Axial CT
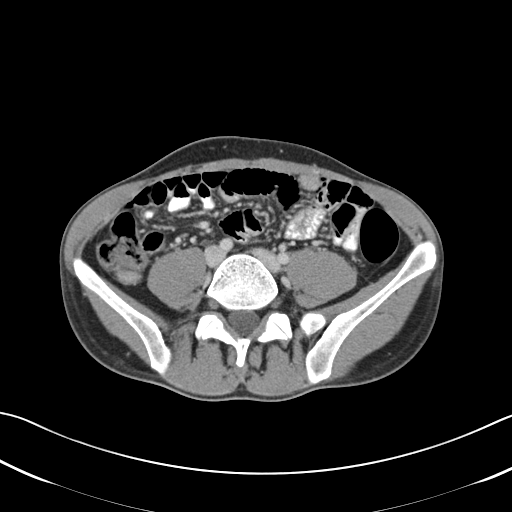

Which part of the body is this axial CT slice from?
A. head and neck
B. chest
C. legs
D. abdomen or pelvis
Answer: D. abdomen or pelvis
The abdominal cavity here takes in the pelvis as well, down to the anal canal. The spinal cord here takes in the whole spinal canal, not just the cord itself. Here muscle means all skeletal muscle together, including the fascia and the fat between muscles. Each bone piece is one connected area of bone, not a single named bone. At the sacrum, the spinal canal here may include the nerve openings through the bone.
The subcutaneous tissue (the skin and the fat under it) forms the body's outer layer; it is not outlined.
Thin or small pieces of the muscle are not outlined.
bones 1: [[235,253],[253,255],[269,270],[278,294],[268,306],[283,312],[292,330],[288,340],[259,342],[254,339],[247,349],[246,368],[237,366],[236,350],[231,344],[214,338],[195,337],[199,317],[203,312],[218,308],[216,298],[204,295],[208,281],[222,260]]; inner edge: [[239,310],[255,311],[258,314],[258,315],[260,317],[260,322],[259,323],[259,332],[257,334],[255,335],[252,335],[251,336],[250,335],[249,336],[239,336],[238,335],[236,336],[230,331],[230,325],[227,321],[227,316],[229,312],[231,311],[238,311]]
bones 2: [[425,240],[432,241],[436,246],[437,260],[434,267],[403,284],[359,322],[340,345],[332,363],[330,376],[311,385],[307,379],[305,358],[323,329],[307,336],[299,326],[305,312],[318,312],[328,323],[339,313],[357,306],[381,289],[399,271],[412,249]]
bones 3: [[77,256],[81,257],[87,262],[107,285],[122,299],[135,309],[152,319],[157,324],[161,331],[164,342],[171,352],[171,360],[167,370],[163,375],[159,374],[150,367],[150,361],[146,348],[134,329],[116,311],[80,282],[74,273],[72,265],[73,258]]
spinal cord: [[239,310],[255,311],[258,314],[258,315],[260,317],[260,322],[259,323],[259,332],[257,334],[255,335],[252,335],[251,336],[250,335],[249,336],[239,336],[238,335],[236,336],[230,331],[230,325],[227,321],[227,316],[229,312],[231,311],[238,311]]
muscle 1: [[261,157],[315,164],[355,180],[387,188],[401,195],[424,215],[435,233],[439,250],[439,257],[436,268],[400,331],[385,345],[359,361],[347,375],[323,381],[331,376],[335,357],[355,327],[399,288],[435,267],[436,263],[438,260],[437,246],[436,244],[430,239],[425,239],[412,248],[408,237],[394,217],[366,189],[350,181],[321,173],[292,172],[259,164],[246,164],[226,168],[192,169],[151,181],[134,192],[95,234],[87,245],[87,261],[79,255],[73,257],[71,261],[73,273],[79,282],[116,312],[137,334],[148,357],[149,367],[147,366],[123,342],[105,329],[89,301],[82,294],[78,281],[67,270],[64,262],[64,247],[71,225],[92,201],[123,184],[154,177],[189,164],[227,158],[253,159]]
muscle 2: [[104,279],[166,316],[169,323],[202,312],[194,337],[231,345],[241,369],[247,368],[247,353],[254,340],[288,341],[292,326],[307,337],[322,329],[304,358],[310,385],[271,396],[243,387],[203,395],[169,383],[154,373],[163,376],[172,360],[158,324]]
muscle 3: [[303,248],[309,248],[312,250],[326,249],[343,256],[355,268],[357,272],[356,281],[353,287],[332,299],[307,309],[304,306],[295,301],[293,296],[294,291],[286,275],[285,268],[290,261],[290,254],[296,250],[299,250]]
muscle 4: [[189,247],[197,247],[199,248],[203,255],[203,260],[205,264],[205,281],[203,285],[204,293],[198,304],[192,310],[178,310],[175,311],[159,299],[149,289],[147,285],[147,278],[153,264],[158,258],[160,258],[162,256],[164,256],[176,249],[185,249]]
muscle 5: [[407,255],[404,262],[398,271],[381,288],[357,305],[347,310],[339,312],[328,322],[327,322],[326,317],[322,313],[316,311],[317,309],[344,300],[353,295],[364,286],[366,286],[371,282],[375,282],[386,273],[394,269]]
torso: [[218,135],[278,139],[317,149],[399,189],[429,215],[444,248],[442,293],[432,331],[408,363],[373,382],[318,389],[284,401],[202,401],[117,374],[102,366],[84,350],[68,323],[60,289],[58,253],[68,220],[80,205],[107,186],[145,168],[178,147]]
abdominal cavity: [[246,165],[363,188],[411,249],[350,296],[305,311],[294,329],[269,306],[279,287],[261,259],[229,254],[205,292],[202,250],[176,248],[152,264],[148,289],[175,312],[192,311],[203,296],[217,308],[169,322],[102,277],[88,261],[88,245],[147,184]]; inner edge: [[303,248],[309,248],[312,250],[326,249],[343,256],[355,268],[357,272],[356,281],[353,287],[332,299],[307,309],[304,306],[295,301],[293,296],[294,291],[286,275],[285,268],[290,261],[290,254],[296,250],[299,250]]